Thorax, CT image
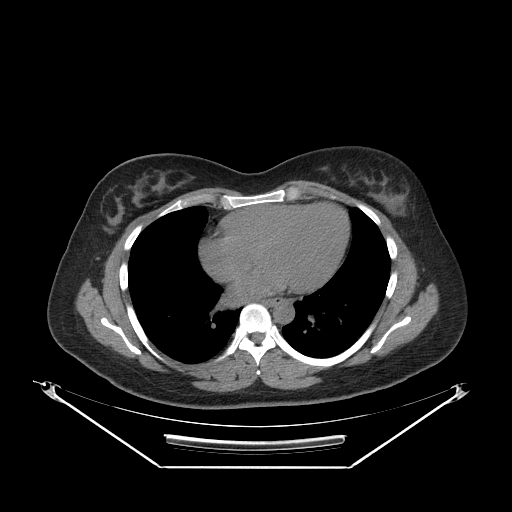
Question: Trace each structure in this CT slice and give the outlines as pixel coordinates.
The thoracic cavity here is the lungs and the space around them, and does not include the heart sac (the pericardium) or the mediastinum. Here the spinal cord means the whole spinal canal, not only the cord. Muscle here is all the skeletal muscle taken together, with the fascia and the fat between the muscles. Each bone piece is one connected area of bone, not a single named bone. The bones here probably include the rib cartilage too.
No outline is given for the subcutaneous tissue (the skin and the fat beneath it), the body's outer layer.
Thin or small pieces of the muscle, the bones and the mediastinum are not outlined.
Answer: Outlines (x, y in pixels):
thoracic cavity 1: 196,205 203,205 207,211 207,221 202,230 197,246 197,255 201,267 241,308 238,315 238,322 232,337 218,355 202,362 183,363 161,352 149,340 137,317 128,290 128,261 130,250 143,229 156,219 169,213
thoracic cavity 2: 352,207 356,207 363,212 378,227 385,240 390,259 390,272 384,297 372,321 350,346 332,356 314,357 306,355 295,349 285,339 281,330 296,315 294,303 323,286 343,263 352,239 352,225 349,216 349,209
muscle: 289,180 328,185 376,208 389,219 412,253 420,287 433,282 439,293 437,312 415,338 383,357 339,368 323,382 304,388 274,388 258,379 241,389 217,392 199,389 183,377 147,369 112,351 90,334 75,308 76,295 86,278 94,286 101,287 104,263 128,224 187,192 223,187 243,194 201,192 179,198 160,211 144,228 142,223 137,224 124,240 123,249 129,251 129,255 127,262 122,261 119,266 118,283 122,292 127,290 129,293 131,303 125,304 126,314 145,348 158,360 166,362 150,342 161,353 183,364 202,363 212,358 219,362 238,350 246,351 257,366 268,350 278,348 299,362 326,368 359,350 377,325 378,321 374,318 384,298 390,299 396,288 398,271 391,270 391,260 398,255 397,244 390,234 384,237 379,228 379,216 366,204 355,201 352,206 332,193 314,188 310,190 316,195 302,197 307,190 299,185 270,190, around holes outlined by 102,317 105,317 110,323 112,324 115,324 119,326 121,328 127,339 133,345 137,347 141,351 141,353 140,354 136,354 131,351 128,348 125,342 118,333 112,329 103,325 101,323 101,321 100,320 and by 408,315 411,317 411,320 407,324 403,326 398,327 394,330 393,330 387,336 381,347 374,353 371,353 370,352 371,348 377,343 377,342 382,337 382,336 385,333 385,332 394,323 398,322 405,316 407,316
bones 1: 250,303 263,305 284,339 298,352 314,358 327,358 341,353 362,335 373,320 377,322 359,349 344,360 327,367 299,361 278,347 268,349 260,358 258,365 249,352 238,349 233,354 215,361 232,339 241,309, around a hole outlined by 254,332 259,332 260,333 263,333 263,334 264,335 264,337 263,338 263,339 260,342 260,343 259,344 256,344 252,340 251,340 251,339 250,338 250,335 252,333 253,333
bones 2: 289,186 299,186 306,190 300,198 290,201 265,202 237,208 232,207 229,209 221,207 217,201 214,203 206,202 184,207 156,218 160,212 177,200 192,195 201,193 212,193 217,196 222,194 254,195 283,189
bones 3: 128,303 132,305 132,307 135,312 136,317 140,325 142,327 146,336 148,338 148,340 149,341 150,345 164,359 165,362 158,359 154,355 153,355 146,348 146,347 139,339 130,322 130,320 127,314 126,304
bones 4: 408,315 411,317 411,320 407,324 403,326 398,327 394,330 393,330 387,336 381,347 374,353 371,353 370,352 371,348 377,343 377,342 382,337 382,336 385,333 385,332 394,323 398,322 405,316 407,316
bones 5: 102,317 105,317 110,323 112,324 115,324 119,326 121,328 127,339 133,345 137,347 141,351 141,353 140,354 136,354 131,351 128,348 125,342 118,333 112,329 103,325 101,323 101,321 100,320
bones 6: 139,224 142,224 142,229 141,230 141,231 136,237 136,238 135,239 134,242 132,244 130,249 129,250 125,250 124,249 124,243 125,242 125,240 126,239 126,238 131,232 131,231 137,225 138,225
bones 7: 122,262 126,262 127,263 127,283 128,284 128,286 127,287 127,289 126,290 125,290 124,291 122,291 122,290 121,289 121,288 120,287 120,284 119,283 119,269 120,268 120,266 121,265 121,264 122,263
bones 8: 393,270 396,270 397,271 397,281 396,282 396,285 395,286 395,288 393,291 393,293 391,297 390,298 386,298 385,297 385,292 386,291 386,289 387,288 387,285 388,284 388,281 390,277 390,273 391,271
bones 9: 355,202 359,202 360,203 362,203 363,204 364,204 365,205 366,205 369,208 370,208 378,216 378,217 379,218 379,219 380,220 380,225 379,226 378,226 363,211 362,211 359,208 358,208 356,206 355,206
bones 10: 386,235 390,235 393,238 393,239 396,244 396,246 397,247 397,255 396,256 396,257 394,259 391,259 390,258 390,256 389,255 389,252 388,251 388,248 387,247 387,244 386,243 386,240 385,239 385,236
bones 11: 311,189 314,189 317,191 321,191 322,192 325,192 328,194 332,194 336,196 339,199 339,200 337,199 331,199 325,196 320,196 319,195 317,195 317,193 311,190
spinal cord: 254,332 259,332 260,333 263,333 263,334 264,335 264,337 263,338 263,339 260,342 260,343 259,344 256,344 252,340 251,340 251,339 250,338 250,335 252,333 253,333
torso: 338,145 371,146 406,162 421,180 457,258 467,292 467,320 457,345 436,365 392,387 345,400 203,410 160,404 126,393 55,342 46,319 53,278 89,194 110,169 136,156 177,152 242,172 257,172 298,154
mediastinum 1: 224,291 226,291 236,296 244,297 246,296 249,297 303,296 303,297 301,299 296,300 293,303 295,315 289,323 284,325 281,328 280,331 272,321 272,318 268,309 263,304 259,302 250,302 240,307 239,304 238,303 227,292
mediastinum 2: 206,203 211,203 212,204 215,204 217,206 219,206 221,208 226,210 222,210 221,211 217,212 214,215 213,215 212,217 211,217 210,219 208,220 208,221 208,211 207,210 207,208 203,204 202,204 205,204
mediastinum 3: 333,200 337,200 338,201 340,201 341,202 343,202 344,203 345,203 346,204 347,204 348,205 351,206 351,207 350,207 348,209 348,212 348,210 343,205 342,205 340,203 339,203 336,201 334,201
pericardium: 309,196 328,198 343,206 347,210 351,225 349,243 343,259 331,277 323,285 314,291 303,295 236,295 224,290 224,287 214,281 204,270 200,262 198,246 209,220 217,213 232,208 237,210 258,204 292,202